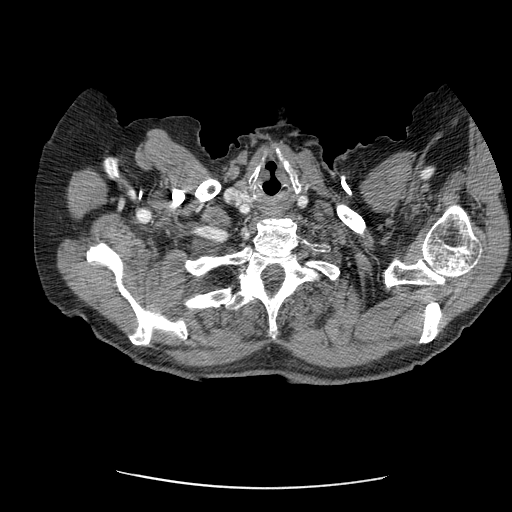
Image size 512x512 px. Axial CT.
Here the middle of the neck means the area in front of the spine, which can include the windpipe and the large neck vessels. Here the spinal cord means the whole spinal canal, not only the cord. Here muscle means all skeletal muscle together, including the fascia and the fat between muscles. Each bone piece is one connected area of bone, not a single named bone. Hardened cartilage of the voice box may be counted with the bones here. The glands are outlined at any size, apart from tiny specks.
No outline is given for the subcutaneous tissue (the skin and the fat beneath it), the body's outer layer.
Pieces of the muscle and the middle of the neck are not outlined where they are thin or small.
bones 1: 283 217; 296 222; 301 238; 330 245; 317 252; 300 243; 297 258; 326 260; 340 274; 331 280; 320 272; 284 300; 275 340; 257 301; 236 310; 184 306; 195 294; 237 285; 239 273; 228 264; 195 276; 186 259; 238 251; 258 220, around a hole outlined by 271 265; 277 265; 282 269; 282 271; 283 272; 283 280; 281 282; 280 284; 280 286; 278 288; 277 291; 275 292; 272 296; 269 296; 267 293; 267 291; 265 289; 265 286; 264 285; 264 281; 262 278; 262 274; 263 272; 269 266
bones 2: 453 204; 458 204; 467 213; 472 229; 481 243; 482 252; 477 263; 461 275; 448 277; 444 285; 400 284; 387 288; 384 283; 383 271; 390 262; 394 258; 397 258; 407 265; 414 264; 422 256; 421 244; 426 233; 446 208
bones 3: 100 242; 119 255; 123 262; 122 283; 143 308; 158 311; 171 321; 181 317; 184 319; 188 331; 185 340; 155 330; 149 346; 135 345; 130 341; 128 335; 135 331; 138 323; 130 304; 115 285; 114 274; 105 266; 86 260; 89 247
bones 4: 431 300; 433 300; 439 305; 439 307; 442 314; 438 325; 439 332; 430 342; 425 344; 418 344; 417 342; 419 339; 419 337; 421 334; 421 331; 422 330; 422 324; 423 323; 422 313; 423 312; 423 309; 424 308; 424 306
bones 5: 337 203; 343 203; 349 206; 352 209; 353 209; 356 212; 357 212; 363 218; 365 222; 365 228; 362 234; 360 234; 359 233; 357 233; 355 232; 347 225; 346 225; 340 219; 340 218; 337 215; 337 213; 335 209; 335 206
bones 6: 210 177; 211 177; 212 178; 215 178; 216 179; 219 180; 222 184; 222 189; 215 196; 214 196; 212 198; 211 198; 204 202; 202 202; 201 201; 200 201; 195 196; 195 192; 196 191; 196 189; 197 188; 197 187; 204 180; 205 180
bones 7: 277 147; 279 148; 283 157; 289 162; 291 167; 296 173; 298 177; 299 182; 301 183; 302 185; 302 189; 300 193; 297 195; 295 194; 294 191; 292 189; 292 187; 288 177; 288 174; 285 171; 283 166; 281 164; 275 153; 275 149
bones 8: 266 154; 267 155; 267 157; 266 158; 267 159; 267 161; 264 167; 263 167; 260 170; 259 174; 258 175; 258 177; 254 182; 251 189; 250 188; 248 188; 247 186; 247 182; 250 175; 253 172; 255 167; 261 161; 262 157
spinal cord: 271 265; 277 265; 282 269; 282 271; 283 272; 283 280; 281 282; 280 284; 280 286; 278 288; 277 291; 275 292; 272 296; 269 296; 267 293; 267 291; 265 289; 265 286; 264 285; 264 281; 262 278; 262 274; 263 272; 269 266
left arm: 442 84; 445 84; 455 95; 475 125; 478 127; 502 183; 507 208; 508 225; 511 236; 511 279; 504 289; 488 304; 482 312; 474 309; 452 289; 428 261; 402 143; 402 139; 406 136; 405 128; 412 120; 413 108; 428 92; 435 90
torso: 169 115; 197 119; 200 142; 213 158; 280 117; 318 138; 329 167; 358 142; 401 139; 427 261; 480 315; 424 364; 365 382; 291 384; 275 374; 194 381; 130 361; 83 319; 47 301; 34 262; 33 216; 67 215; 98 185; 120 124
muscle: 468 113; 502 183; 506 263; 440 334; 443 314; 431 299; 417 344; 371 363; 318 366; 267 345; 231 363; 179 365; 135 346; 149 347; 155 331; 185 341; 185 319; 143 307; 107 243; 90 245; 85 260; 113 274; 137 323; 127 338; 74 294; 56 265; 71 229; 72 174; 130 154; 149 129; 164 129; 212 171; 260 139; 293 140; 371 224; 361 178; 404 150; 444 169; 465 162, around holes outlined by 277 147; 308 197; 289 216; 296 233; 330 245; 317 252; 300 243; 297 258; 326 260; 340 274; 320 272; 288 296; 273 340; 257 301; 236 310; 183 301; 238 284; 237 265; 195 276; 184 261; 251 242; 262 218; 228 206; 223 192 and by 453 204; 458 204; 467 213; 472 229; 481 243; 482 252; 477 263; 461 275; 448 277; 444 285; 400 284; 387 288; 384 283; 383 271; 390 262; 394 258; 397 258; 407 265; 414 264; 422 256; 421 244; 426 233; 446 208 and by 337 203; 343 203; 349 206; 352 209; 353 209; 356 212; 357 212; 363 218; 365 222; 365 228; 362 234; 360 234; 359 233; 357 233; 355 232; 347 225; 346 225; 340 219; 340 218; 337 215; 337 213; 335 209; 335 206 and by 210 177; 211 177; 212 178; 215 178; 216 179; 219 180; 222 184; 222 189; 215 196; 214 196; 212 198; 211 198; 204 202; 202 202; 201 201; 200 201; 195 196; 195 192; 196 191; 196 189; 197 188; 197 187; 204 180; 205 180
right arm: 93 85; 99 86; 103 91; 106 92; 109 95; 114 103; 117 113; 117 118; 119 122; 118 133; 100 175; 97 185; 67 214; 33 215; 34 188; 36 176; 39 167; 40 156; 44 144; 52 135; 52 133; 60 118; 78 95; 83 90
thyroid glands: 242 190; 246 190; 247 191; 247 192; 248 193; 248 195; 249 196; 249 202; 248 203; 245 203; 244 202; 243 202; 241 200; 241 199; 240 198; 240 197; 239 196; 239 192; 240 191; 241 191
middle of the neck: 268 149; 274 149; 274 153; 277 159; 287 174; 291 189; 294 194; 297 196; 299 195; 301 193; 303 187; 306 192; 308 197; 308 204; 303 210; 289 216; 262 218; 257 216; 243 214; 224 203; 222 196; 223 192; 229 186; 239 179 with a hole at 266 154; 267 155; 267 157; 266 158; 267 159; 267 161; 264 167; 263 167; 260 170; 259 174; 258 175; 258 177; 254 182; 251 189; 250 188; 248 188; 247 186; 247 182; 250 175; 253 172; 255 167; 261 161; 262 157